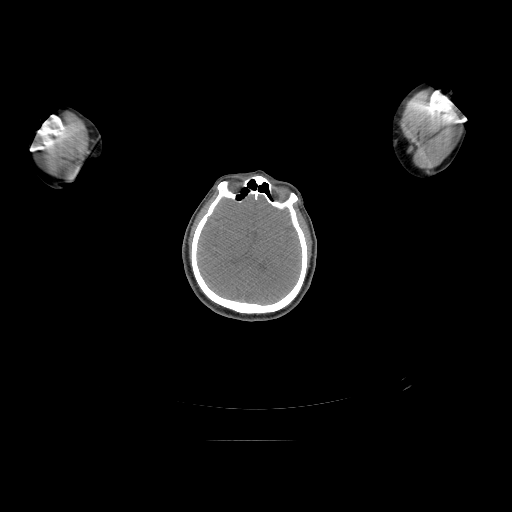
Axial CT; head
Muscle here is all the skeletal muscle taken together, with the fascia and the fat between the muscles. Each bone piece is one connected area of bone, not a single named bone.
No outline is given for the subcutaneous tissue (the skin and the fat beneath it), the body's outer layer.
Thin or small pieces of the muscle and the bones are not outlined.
{"brain":[[[251,197],[254,200],[261,197],[272,207],[278,210],[287,210],[289,220],[295,230],[300,248],[299,270],[295,282],[284,295],[277,300],[268,303],[243,301],[220,295],[207,283],[198,263],[200,236],[209,217],[220,201],[224,198],[237,203],[242,203]]],"head":[{"outer":[[257,169],[261,169],[280,180],[290,182],[300,191],[304,205],[312,220],[317,238],[317,258],[311,285],[296,307],[279,318],[265,321],[242,321],[225,317],[213,312],[196,297],[184,274],[181,246],[184,232],[192,213],[214,181],[224,174],[248,172]],"hole":[[263,184],[264,184],[265,184],[266,184],[266,185],[267,186],[267,187],[267,188],[267,189],[267,190],[267,191],[266,191],[265,191],[264,191],[263,190],[262,190],[261,190],[260,190],[259,189],[259,188],[259,187],[260,186],[261,186],[262,185]]}],"bones":[{"outer":[[256,174],[275,187],[274,199],[284,200],[291,191],[297,196],[293,207],[305,237],[307,268],[300,291],[288,305],[273,312],[240,313],[213,302],[200,289],[191,267],[191,245],[199,221],[218,193],[218,183],[226,180],[232,191],[239,192],[240,183]],"holes":[[[251,197],[254,200],[261,197],[272,207],[278,210],[287,210],[289,220],[295,230],[300,248],[299,270],[295,282],[284,295],[277,300],[268,303],[243,301],[220,295],[207,283],[198,263],[200,236],[209,217],[220,201],[224,198],[237,203],[242,203]],[[263,184],[264,184],[265,184],[266,184],[266,185],[267,186],[267,187],[267,188],[267,189],[267,190],[267,191],[266,191],[265,191],[264,191],[263,190],[262,190],[261,190],[260,190],[259,189],[259,188],[259,187],[260,186],[261,186],[262,185]]]},[[51,114],[56,114],[58,115],[57,117],[65,126],[63,131],[56,135],[55,134],[50,134],[49,133],[48,135],[50,137],[50,144],[44,149],[39,149],[38,150],[31,151],[30,150],[30,146],[35,139],[35,135],[37,130],[40,127],[41,124]],[[436,89],[438,89],[441,92],[441,93],[444,96],[444,97],[447,100],[447,101],[452,107],[451,107],[446,112],[445,111],[442,111],[441,110],[436,110],[435,109],[433,109],[430,107],[430,98],[431,97],[431,96],[432,95],[434,90],[435,90]]],"right_arm":[[[53,103],[68,105],[84,114],[95,124],[102,138],[102,148],[99,155],[97,158],[92,159],[91,166],[87,172],[77,183],[72,182],[63,189],[50,187],[36,175],[28,161],[28,152],[26,151],[26,146],[30,138],[40,126],[42,116],[50,109]]],"left_arm":[[[432,80],[439,80],[452,91],[467,114],[468,126],[467,127],[466,135],[464,138],[462,145],[453,161],[443,171],[436,175],[430,177],[418,177],[408,172],[401,165],[395,155],[392,146],[392,119],[398,104],[402,98],[412,88],[422,82],[426,82]]],"muscle":[[[426,88],[430,88],[433,90],[429,98],[429,107],[433,110],[446,113],[452,108],[462,124],[461,135],[452,151],[439,165],[429,170],[420,169],[412,163],[411,156],[407,153],[408,144],[403,136],[399,124],[399,121],[401,118],[406,102],[417,91]],[[65,110],[74,113],[83,120],[86,126],[88,136],[87,152],[84,158],[81,161],[74,176],[71,179],[58,177],[44,171],[37,166],[33,155],[34,151],[44,150],[51,144],[51,137],[49,134],[56,136],[64,131],[66,126],[58,117],[59,114]],[[298,200],[299,201],[299,208],[307,223],[309,232],[310,233],[310,236],[311,237],[311,240],[312,241],[312,254],[311,255],[310,265],[307,274],[307,269],[308,268],[308,247],[306,242],[305,234],[299,223],[297,212],[294,207],[294,204],[297,202]],[[215,188],[216,188],[217,190],[217,193],[208,205],[207,209],[204,214],[198,221],[192,235],[192,239],[191,240],[191,244],[190,245],[190,266],[190,262],[189,261],[189,257],[188,256],[188,238],[189,237],[190,230],[197,214],[205,202],[212,194]]]}